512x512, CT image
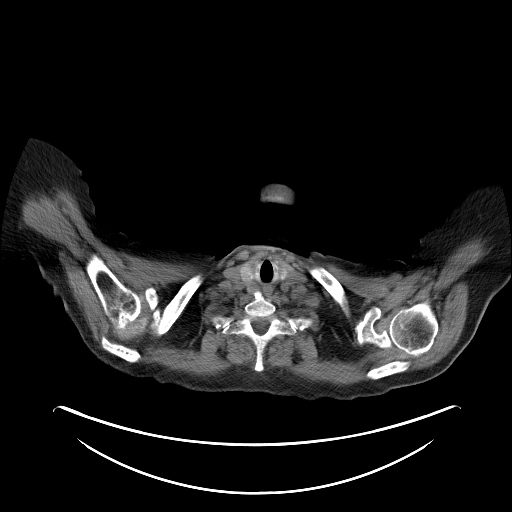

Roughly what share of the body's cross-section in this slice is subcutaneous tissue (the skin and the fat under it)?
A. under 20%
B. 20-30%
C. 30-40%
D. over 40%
Answer: C. 30-40%
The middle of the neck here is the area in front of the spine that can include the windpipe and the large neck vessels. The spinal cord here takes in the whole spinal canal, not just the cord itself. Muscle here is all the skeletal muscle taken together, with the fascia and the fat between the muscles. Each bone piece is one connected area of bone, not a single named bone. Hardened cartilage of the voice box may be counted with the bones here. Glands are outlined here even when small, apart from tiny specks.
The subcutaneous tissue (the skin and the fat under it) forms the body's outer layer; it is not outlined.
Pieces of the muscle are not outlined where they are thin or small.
The muscle is outlined by 61 186; 103 244; 148 259; 214 265; 265 247; 376 277; 437 265; 475 235; 492 247; 444 357; 411 371; 409 360; 393 359; 371 367; 370 380; 347 385; 263 371; 268 343; 313 319; 280 313; 266 298; 294 280; 277 260; 228 265; 223 274; 253 298; 238 315; 210 321; 223 335; 252 342; 254 371; 234 365; 194 376; 136 363; 136 348; 105 335; 99 347; 60 246; 21 219; 28 193, around holes outlined by 92 254; 98 256; 125 286; 140 296; 144 296; 147 288; 154 288; 158 296; 157 306; 161 310; 190 277; 201 273; 203 281; 165 333; 157 335; 150 328; 153 311; 144 299; 140 315; 124 329; 119 330; 104 313; 86 271; 86 263 and by 425 301; 431 306; 438 324; 433 343; 427 351; 415 356; 400 350; 394 345; 389 348; 381 348; 371 343; 358 343; 357 333; 354 328; 371 307; 376 306; 381 311; 380 317; 373 324; 374 330; 381 333; 388 329; 392 317; 399 310 and by 315 266; 321 266; 325 268; 331 274; 332 274; 341 284; 344 289; 344 291; 345 292; 345 297; 347 300; 346 306; 348 310; 348 315; 346 315; 341 307; 335 301; 329 292; 311 275; 309 272; 309 268; 311 267; 314 267. The torso appears in 2 outlined pieces: piece 1: 134 241; 205 250; 218 258; 240 245; 263 244; 355 262; 399 259; 380 293; 381 324; 397 360; 409 371; 433 378; 370 397; 306 401; 263 392; 193 391; 115 370; 98 360; 79 334; 133 343; 159 326; 165 306; 159 278; piece 2: 268 182; 280 182; 281 183; 284 183; 285 184; 287 184; 289 185; 292 188; 293 188; 293 189; 297 194; 297 203; 293 205; 279 205; 278 204; 274 204; 273 203; 262 203; 260 202; 258 198; 255 196; 255 194; 260 187; 260 186. The thyroid glands appear in 2 outlined pieces: piece 1: 246 262; 250 262; 252 264; 252 275; 253 276; 253 278; 252 279; 252 280; 251 281; 251 282; 249 284; 246 284; 245 283; 244 283; 242 281; 242 280; 241 279; 241 278; 240 277; 240 267; 244 263; 245 263; piece 2: 281 267; 285 267; 286 268; 287 268; 287 269; 288 270; 288 275; 287 276; 287 277; 284 280; 283 280; 282 281; 281 281; 280 280; 279 280; 279 274; 280 273; 280 269; 281 268. The left arm is outlined by 493 180; 497 180; 500 184; 508 217; 510 235; 508 282; 488 304; 468 345; 445 371; 435 377; 415 373; 398 360; 385 334; 380 315; 380 297; 383 287; 401 260; 407 263; 412 260; 412 251; 427 230; 439 225; 470 190. The right arm is outlined by 32 136; 54 143; 73 158; 88 182; 97 218; 115 232; 125 233; 149 261; 158 278; 164 301; 162 318; 149 336; 133 342; 117 342; 78 333; 62 303; 54 298; 52 289; 42 279; 34 261; 3 262; 2 226; 6 201; 17 164. The middle of the neck is outlined by 264 256; 272 258; 279 264; 279 281; 282 282; 288 277; 288 269; 292 272; 293 280; 282 293; 274 292; 266 297; 260 290; 248 293; 240 290; 224 274; 228 266; 241 265; 239 277; 244 284; 249 285; 254 278; 253 263. The spinal cord is outlined by 258 318; 265 318; 266 319; 267 319; 269 322; 269 324; 267 327; 267 329; 263 333; 261 333; 260 334; 259 333; 257 333; 254 330; 254 329; 253 328; 253 326; 252 325; 252 321; 253 321; 254 320; 255 320. The bones appear in 7 outlined pieces: piece 1: 92 254; 98 256; 125 286; 140 296; 144 296; 147 288; 154 288; 158 296; 157 306; 161 310; 190 277; 201 273; 203 281; 165 333; 157 335; 150 328; 153 311; 144 299; 140 315; 124 329; 119 330; 104 313; 86 271; 86 263; piece 2: 425 301; 431 306; 438 324; 433 343; 427 351; 415 356; 400 350; 394 345; 389 348; 381 348; 371 343; 358 343; 357 333; 354 328; 371 307; 376 306; 381 311; 380 317; 373 324; 374 330; 381 333; 388 329; 392 317; 399 310; piece 3: 255 291; 260 291; 280 314; 312 319; 309 327; 298 330; 294 335; 273 337; 264 348; 263 370; 259 372; 254 370; 256 348; 253 342; 244 334; 223 334; 222 329; 216 328; 211 321; 218 314; 236 317; 241 314; 244 306; 254 298, around a hole outlined by 258 318; 265 318; 266 319; 267 319; 269 322; 269 324; 267 327; 267 329; 263 333; 261 333; 260 334; 259 333; 257 333; 254 330; 254 329; 253 328; 253 326; 252 325; 252 321; 253 321; 254 320; 255 320; piece 4: 315 266; 321 266; 325 268; 331 274; 332 274; 341 284; 344 289; 344 291; 345 292; 345 297; 347 300; 346 306; 348 310; 348 315; 346 315; 341 307; 335 301; 329 292; 311 275; 309 272; 309 268; 311 267; 314 267; piece 5: 102 336; 105 336; 108 339; 112 341; 115 341; 116 342; 124 344; 127 346; 129 346; 132 348; 136 349; 140 354; 140 359; 135 363; 131 363; 113 354; 111 354; 107 351; 104 350; 102 348; 102 346; 101 345; 101 338; piece 6: 393 360; 405 360; 406 361; 409 361; 410 363; 406 370; 402 372; 399 372; 398 373; 394 373; 390 375; 387 375; 386 376; 384 376; 374 380; 371 380; 366 376; 367 372; 371 368; 378 366; 379 365; 381 365; 384 363; 386 363; piece 7: 269 195; 270 195; 271 196; 281 196; 282 197; 283 197; 284 198; 285 198; 286 199; 287 199; 287 200; 288 201; 287 202; 277 202; 276 201; 269 201; 268 200; 267 200; 266 199; 264 199; 264 197; 265 197; 266 196; 268 196.